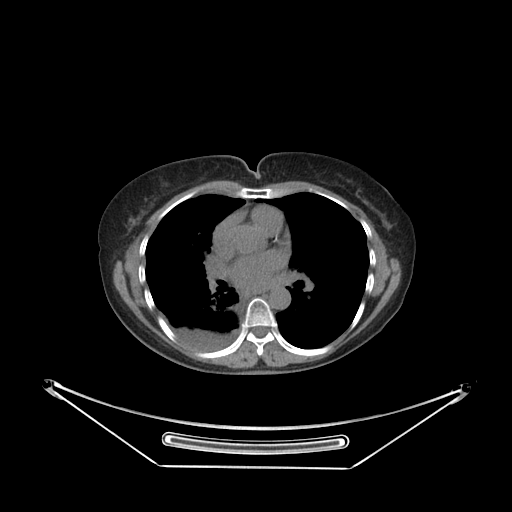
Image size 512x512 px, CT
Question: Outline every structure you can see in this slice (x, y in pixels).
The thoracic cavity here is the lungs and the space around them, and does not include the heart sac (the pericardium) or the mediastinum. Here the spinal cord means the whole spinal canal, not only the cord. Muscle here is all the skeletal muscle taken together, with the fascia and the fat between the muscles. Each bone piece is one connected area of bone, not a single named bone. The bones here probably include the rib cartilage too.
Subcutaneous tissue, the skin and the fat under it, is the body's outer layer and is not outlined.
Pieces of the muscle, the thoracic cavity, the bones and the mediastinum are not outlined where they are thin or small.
Answer: The torso is outlined by (276, 151) (309, 151) (353, 163) (398, 200) (411, 218) (416, 237) (413, 274) (401, 307) (379, 333) (357, 349) (331, 363) (300, 372) (214, 374) (162, 357) (124, 327) (107, 301) (97, 243) (103, 210) (127, 182) (161, 164) (199, 155) (231, 154) (254, 170) (264, 155). The pericardium is outlined by (257, 203) (264, 203) (275, 206) (283, 212) (285, 221) (289, 228) (291, 238) (291, 255) (288, 262) (288, 271) (287, 274) (279, 281) (259, 285) (236, 285) (222, 277) (216, 271) (211, 261) (210, 254) (212, 247) (212, 234) (217, 224) (229, 214) (242, 208) (247, 204). The bones appear in 10 outlined pieces: piece 1: (255, 297) (267, 302) (279, 332) (289, 343) (303, 349) (328, 344) (332, 345) (331, 348) (317, 355) (299, 355) (286, 350) (274, 339) (267, 342) (262, 354) (258, 355) (256, 345) (245, 339) (227, 355) (197, 356) (196, 352) (216, 351) (234, 341) (240, 332) (247, 304) with a hole at (257, 326) (263, 326) (264, 327) (266, 327) (267, 328) (267, 331) (266, 332) (266, 333) (263, 336) (262, 336) (261, 337) (259, 337) (258, 336) (257, 336) (256, 335) (255, 335) (254, 334) (254, 333) (253, 332) (253, 331) (252, 330) (252, 329) (254, 327) (256, 327); piece 2: (242, 187) (251, 187) (252, 188) (263, 188) (264, 187) (265, 188) (266, 187) (267, 188) (297, 187) (300, 189) (296, 192) (290, 193) (280, 197) (275, 197) (274, 198) (242, 198) (241, 197) (234, 197) (233, 196) (231, 196) (226, 190) (226, 189) (239, 189); piece 3: (195, 189) (198, 189) (199, 190) (197, 194) (195, 196) (191, 197) (190, 198) (188, 198) (182, 201) (180, 203) (173, 207) (159, 221) (158, 221) (157, 219) (158, 218) (158, 216) (167, 207) (168, 207) (172, 203) (173, 203) (181, 197) (184, 196) (186, 194) (191, 192); piece 4: (158, 316) (160, 316) (162, 317) (165, 320) (165, 321) (169, 326) (170, 329) (174, 333) (175, 335) (175, 337) (176, 338) (175, 341) (173, 341) (171, 340) (162, 330) (157, 320) (157, 317); piece 5: (308, 187) (311, 187) (314, 189) (316, 189) (321, 192) (323, 192) (326, 194) (328, 194) (340, 200) (342, 202) (343, 202) (348, 207) (349, 210) (346, 209) (338, 203) (324, 196) (322, 196) (319, 194) (317, 194) (313, 192) (309, 192) (307, 191) (306, 189); piece 6: (362, 300) (363, 300) (365, 302) (365, 305) (364, 306) (364, 309) (363, 310) (363, 312) (358, 322) (356, 324) (356, 325) (351, 330) (349, 331) (348, 330) (348, 327) (350, 325) (351, 322) (353, 320) (355, 316) (355, 314) (359, 307) (359, 305); piece 7: (145, 288) (148, 288) (149, 289) (149, 290) (150, 291) (150, 293) (151, 294) (151, 296) (153, 299) (153, 301) (154, 302) (154, 304) (155, 305) (155, 307) (151, 310) (150, 309) (149, 309) (149, 308) (147, 305) (147, 303) (146, 302) (145, 297) (144, 296) (144, 289); piece 8: (370, 272) (372, 272) (373, 273) (373, 278) (374, 279) (373, 280) (373, 286) (372, 287) (372, 289) (371, 290) (371, 291) (369, 293) (366, 293) (365, 292) (365, 285) (366, 284) (366, 281) (367, 280) (367, 276) (368, 275) (368, 273) (369, 273); piece 9: (145, 235) (148, 235) (149, 236) (149, 238) (148, 239) (148, 241) (147, 242) (147, 244) (146, 245) (146, 247) (145, 248) (145, 253) (144, 254) (144, 256) (141, 256) (139, 254) (139, 247) (140, 246) (140, 244) (141, 243) (141, 241); piece 10: (360, 219) (363, 219) (368, 224) (368, 225) (370, 228) (370, 230) (371, 231) (371, 237) (369, 239) (368, 238) (367, 238) (367, 236) (365, 233) (365, 231) (364, 230) (364, 229) (363, 228) (363, 227) (362, 226) (362, 225) (360, 223) (360, 222) (359, 221) (359, 220). The thoracic cavity appears in 2 outlined pieces: piece 1: (297, 192) (319, 195) (347, 210) (361, 225) (368, 249) (369, 265) (364, 291) (352, 320) (329, 343) (313, 348) (303, 348) (289, 342) (280, 332) (275, 316) (286, 310) (292, 302) (291, 293) (285, 286) (291, 268) (292, 238) (283, 210) (266, 203) (264, 199) (280, 198); piece 2: (204, 194) (220, 194) (244, 200) (242, 205) (216, 224) (211, 234) (210, 261) (216, 273) (236, 291) (238, 301) (245, 307) (244, 317) (239, 324) (237, 336) (228, 345) (212, 351) (198, 351) (176, 337) (155, 304) (146, 281) (145, 266) (146, 248) (158, 223) (182, 202). The muscle is outlined by (212, 180) (237, 181) (245, 186) (226, 188) (229, 195) (197, 195) (200, 190) (193, 189) (157, 216) (158, 222) (151, 235) (145, 234) (138, 247) (138, 254) (145, 257) (145, 264) (138, 266) (137, 276) (141, 284) (146, 282) (148, 286) (143, 289) (148, 309) (151, 311) (156, 307) (163, 315) (158, 315) (156, 320) (164, 334) (171, 341) (175, 342) (177, 338) (196, 350) (197, 357) (227, 356) (245, 340) (255, 345) (258, 356) (263, 354) (264, 346) (274, 340) (295, 355) (325, 354) (333, 346) (330, 343) (346, 329) (351, 331) (364, 312) (366, 302) (362, 297) (364, 292) (372, 291) (375, 279) (374, 273) (368, 269) (376, 264) (376, 253) (367, 246) (367, 239) (372, 237) (369, 224) (363, 218) (356, 219) (340, 199) (311, 186) (306, 191) (298, 191) (301, 189) (297, 186) (260, 187) (267, 184) (306, 181) (330, 190) (362, 209) (389, 256) (400, 262) (401, 277) (397, 288) (366, 327) (335, 351) (315, 361) (281, 367) (267, 366) (260, 361) (248, 368) (231, 368) (194, 360) (181, 353) (136, 317) (115, 288) (112, 273) (115, 262) (123, 259) (129, 245) (156, 210) (175, 195). The spinal cord is outlined by (257, 326) (263, 326) (264, 327) (266, 327) (267, 328) (267, 331) (266, 332) (266, 333) (263, 336) (262, 336) (261, 337) (259, 337) (258, 336) (257, 336) (256, 335) (255, 335) (254, 334) (254, 333) (253, 332) (253, 331) (252, 330) (252, 329) (254, 327) (256, 327). The mediastinum appears in 2 outlined pieces: piece 1: (286, 275) (287, 276) (284, 286) (290, 293) (291, 302) (286, 309) (279, 311) (275, 315) (274, 315) (268, 302) (260, 296) (255, 296) (251, 298) (245, 306) (241, 301) (239, 301) (239, 297) (236, 292) (237, 291) (223, 278) (236, 286) (259, 286) (264, 284) (279, 282); piece 2: (244, 199) (256, 199) (258, 201) (260, 201) (263, 199) (263, 200) (264, 201) (264, 202) (257, 202) (256, 203) (247, 203) (242, 207) (240, 207) (238, 209) (236, 209) (237, 209) (239, 207) (240, 207) (241, 206) (242, 206) (244, 204) (244, 203) (245, 202) (245, 200).